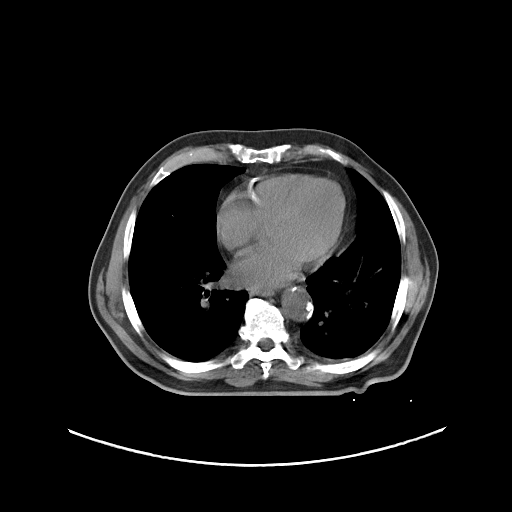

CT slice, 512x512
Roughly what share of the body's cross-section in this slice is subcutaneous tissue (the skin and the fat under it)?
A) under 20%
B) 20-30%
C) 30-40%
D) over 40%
A) under 20%
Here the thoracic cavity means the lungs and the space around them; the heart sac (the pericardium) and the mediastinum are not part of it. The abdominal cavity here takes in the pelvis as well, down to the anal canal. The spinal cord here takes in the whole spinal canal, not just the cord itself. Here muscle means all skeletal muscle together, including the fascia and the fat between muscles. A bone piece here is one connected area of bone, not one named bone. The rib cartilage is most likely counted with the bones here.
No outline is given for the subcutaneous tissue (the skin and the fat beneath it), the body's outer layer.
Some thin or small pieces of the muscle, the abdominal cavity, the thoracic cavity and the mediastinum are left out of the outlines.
The thoracic cavity appears in 2 outlined pieces: piece 1: (194, 163) (218, 163) (244, 168) (243, 172) (221, 186) (216, 200) (215, 222) (217, 248) (225, 269) (248, 294) (243, 323) (238, 328) (238, 339) (230, 352) (228, 348) (202, 361) (176, 357) (153, 340) (137, 311) (130, 291) (128, 270) (137, 213) (146, 196) (171, 173); piece 2: (350, 169) (357, 171) (382, 195) (389, 209) (400, 244) (400, 277) (389, 322) (379, 338) (356, 357) (339, 362) (326, 362) (326, 359) (300, 348) (292, 338) (299, 337) (301, 328) (310, 320) (313, 312) (306, 277) (332, 256) (338, 256) (355, 239) (357, 195) (349, 173). The abdominal cavity is outlined by (355, 226) (355, 236) (354, 237) (354, 239) (352, 241) (352, 242) (343, 251) (342, 251) (340, 253) (340, 250) (341, 249) (342, 246) (344, 244) (344, 243) (345, 243) (350, 238) (350, 236) (351, 236) (352, 235) (352, 232) (353, 231) (353, 230) (354, 229). The mediastinum appears in 2 outlined pieces: piece 1: (312, 156) (328, 158) (351, 168) (348, 173) (356, 195) (355, 225) (338, 255) (332, 255) (324, 261) (345, 236) (351, 215) (351, 198) (342, 180) (327, 169) (284, 166) (252, 175) (232, 187) (217, 208) (222, 186) (245, 171) (243, 166) (224, 163) (277, 164); piece 2: (305, 278) (306, 291) (309, 294) (312, 302) (312, 312) (309, 320) (300, 328) (298, 337) (292, 337) (286, 329) (284, 324) (284, 317) (277, 306) (268, 300) (260, 297) (249, 298) (248, 292) (242, 286) (264, 290) (277, 290) (280, 288) (292, 286) (296, 283) (299, 283). The torso is outlined by (292, 127) (330, 131) (357, 144) (399, 182) (429, 231) (439, 269) (433, 300) (409, 363) (394, 379) (372, 383) (362, 393) (350, 391) (338, 396) (189, 396) (162, 389) (136, 374) (122, 361) (96, 323) (88, 302) (92, 260) (118, 199) (141, 165) (180, 135) (208, 129). The spinal cord is outlined by (263, 338) (269, 338) (272, 341) (272, 343) (273, 344) (272, 345) (272, 346) (269, 349) (268, 349) (267, 350) (263, 350) (259, 346) (259, 345) (258, 344) (258, 343) (259, 342) (259, 341) (261, 339) (262, 339). The pericardium is outlined by (284, 167) (310, 167) (327, 170) (341, 180) (347, 189) (350, 198) (350, 215) (346, 224) (345, 233) (342, 240) (320, 266) (314, 271) (310, 272) (299, 282) (277, 289) (248, 287) (240, 284) (226, 269) (226, 264) (217, 243) (217, 209) (226, 194) (243, 180) (258, 174). The bones appear in 8 outlined pieces: piece 1: (251, 298) (266, 300) (279, 309) (295, 353) (302, 354) (306, 360) (296, 369) (275, 358) (271, 361) (268, 377) (263, 379) (261, 361) (252, 358) (240, 369) (228, 364) (187, 375) (160, 357) (159, 352) (166, 352) (189, 362) (213, 358) (222, 360) (238, 342) (245, 306); inner edge: (263, 338) (269, 338) (272, 341) (272, 343) (273, 344) (272, 345) (272, 346) (269, 349) (268, 349) (267, 350) (263, 350) (259, 346) (259, 345) (258, 344) (258, 343) (259, 342) (259, 341) (261, 339) (262, 339); piece 2: (227, 143) (238, 143) (255, 149) (262, 149) (289, 143) (292, 145) (292, 157) (285, 158) (277, 163) (262, 161) (243, 163) (236, 161) (231, 157) (229, 157) (223, 163) (189, 163) (174, 170) (151, 188) (149, 187) (150, 182) (159, 168) (175, 156) (199, 148) (224, 150); piece 3: (374, 348) (378, 348) (379, 349) (379, 351) (376, 356) (365, 365) (354, 371) (351, 371) (342, 374) (338, 374) (337, 373) (321, 372) (318, 370) (307, 370) (305, 368) (305, 366) (308, 365) (312, 360) (318, 361) (321, 363) (339, 363) (356, 358) (368, 350) (371, 350); piece 4: (402, 274) (406, 275) (411, 282) (409, 284) (409, 286) (408, 287) (408, 290) (406, 295) (406, 303) (405, 304) (404, 309) (395, 328) (392, 330) (389, 323) (390, 322) (391, 313) (393, 309) (393, 306) (394, 305) (394, 302) (395, 301) (397, 290) (399, 286) (400, 278); piece 5: (123, 286) (125, 286) (128, 289) (129, 289) (129, 291) (130, 292) (131, 297) (133, 300) (136, 311) (145, 329) (145, 331) (143, 333) (143, 336) (142, 337) (141, 337) (137, 333) (131, 324) (126, 313) (126, 311) (123, 304) (122, 295) (121, 294) (121, 289); piece 6: (382, 189) (386, 190) (392, 196) (401, 213) (401, 215) (404, 222) (404, 225) (405, 226) (405, 243) (403, 245) (400, 243) (399, 237) (397, 233) (397, 230) (395, 226) (395, 223) (394, 222) (392, 214) (390, 211) (390, 209) (383, 195) (381, 193) (381, 190); piece 7: (307, 145) (314, 145) (326, 149) (327, 148) (332, 149) (334, 151) (339, 153) (344, 158) (345, 158) (348, 161) (348, 163) (347, 165) (344, 165) (328, 157) (320, 157) (319, 156) (314, 156) (313, 155) (307, 155) (306, 156) (299, 155) (297, 154) (296, 152) (300, 148); piece 8: (133, 208) (135, 208) (137, 212) (136, 213) (135, 223) (133, 228) (133, 234) (131, 240) (131, 247) (130, 248) (129, 257) (128, 260) (125, 261) (123, 258) (123, 239) (124, 238) (124, 231) (125, 230) (125, 226) (128, 217). The muscle appears in 5 outlined pieces: piece 1: (216, 143) (226, 143) (224, 149) (190, 149) (175, 155) (161, 165) (158, 168) (149, 182) (150, 189) (138, 210) (131, 209) (122, 239) (122, 258) (127, 262) (129, 288) (123, 285) (120, 294) (136, 333) (142, 338) (146, 332) (164, 351) (157, 353) (159, 357) (187, 376) (228, 365) (240, 370) (252, 359) (260, 361) (262, 379) (243, 387) (225, 382) (183, 380) (143, 361) (104, 320) (95, 297) (98, 276) (102, 266) (109, 262) (119, 222) (138, 189) (161, 162) (175, 151) (185, 146); piece 2: (393, 196) (410, 217) (417, 239) (424, 247) (429, 267) (425, 301) (402, 341) (385, 360) (327, 385) (309, 386) (267, 379) (275, 359) (283, 361) (291, 370) (296, 370) (306, 362) (302, 353) (296, 353) (292, 342) (300, 349) (326, 360) (321, 362) (312, 359) (304, 366) (307, 371) (342, 375) (357, 371) (377, 356) (380, 351) (378, 347) (369, 349) (388, 325) (392, 331) (396, 328) (412, 282) (406, 274) (401, 274) (401, 245) (406, 243) (406, 226); piece 3: (336, 151) (338, 151) (350, 157) (352, 159) (355, 160) (357, 162) (361, 164) (364, 167) (368, 169) (371, 172) (371, 175) (382, 186) (383, 186) (384, 188) (386, 189) (382, 188) (380, 190) (380, 192) (363, 175) (362, 175) (357, 170) (348, 166) (349, 161) (339, 152); piece 4: (312, 143) (317, 143) (318, 144) (321, 144) (322, 145) (326, 145) (327, 146) (328, 146) (331, 148) (330, 148) (329, 147) (327, 147) (326, 148) (325, 147) (323, 147) (322, 146) (319, 146) (318, 145) (315, 145) (314, 144) (307, 144) (306, 145) (304, 145) (303, 146) (302, 146) (301, 147) (300, 147) (295, 152) (295, 153) (297, 155) (298, 155) (299, 156) (301, 156) (302, 157) (306, 157) (307, 156) (311, 156) (308, 156) (307, 157) (303, 157) (302, 158) (300, 158) (299, 159) (288, 159) (287, 160) (284, 160) (285, 159) (290, 159) (293, 157) (293, 156) (294, 155) (294, 153) (292, 151) (292, 149) (293, 148) (293, 145) (292, 144) (299, 144) (300, 145) (302, 145) (303, 144) (311, 144); piece 5: (228, 349) (230, 349) (230, 350) (229, 351) (229, 353) (228, 353) (222, 359) (218, 359) (216, 357) (218, 355) (219, 355) (220, 354) (221, 354) (223, 352) (224, 352) (226, 350) (227, 350).